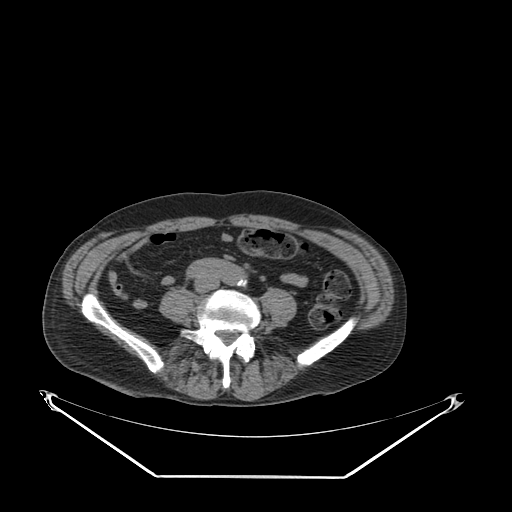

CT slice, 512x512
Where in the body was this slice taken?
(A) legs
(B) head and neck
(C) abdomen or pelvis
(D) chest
(C) abdomen or pelvis
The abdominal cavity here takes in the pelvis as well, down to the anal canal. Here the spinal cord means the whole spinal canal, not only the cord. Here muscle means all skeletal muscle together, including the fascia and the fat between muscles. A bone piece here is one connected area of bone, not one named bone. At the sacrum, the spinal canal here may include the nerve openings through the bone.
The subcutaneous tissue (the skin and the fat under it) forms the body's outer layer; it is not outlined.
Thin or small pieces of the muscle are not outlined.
The muscle appears in 3 outlined pieces: piece 1: 243 213; 339 227; 369 242; 384 258; 394 289; 392 309; 386 321; 377 327; 344 341; 358 322; 358 317; 353 315; 360 299; 360 287; 352 269; 341 258; 306 237; 287 229; 266 226; 228 223; 183 231; 148 232; 107 261; 97 283; 98 296; 107 311; 90 291; 82 295; 79 310; 81 314; 90 322; 105 328; 123 341; 144 364; 86 321; 64 301; 61 278; 65 263; 81 245; 100 233; 172 218; 206 216; 220 219; piece 2: 270 287; 289 292; 297 306; 295 315; 287 324; 274 328; 271 334; 294 346; 316 340; 295 357; 299 368; 316 362; 270 396; 254 401; 241 400; 227 393; 206 400; 179 395; 153 374; 159 373; 165 366; 159 352; 111 317; 153 342; 168 342; 179 335; 192 341; 210 360; 220 363; 221 386; 227 389; 231 383; 231 359; 235 355; 247 363; 255 355; 255 337; 251 332; 262 318; 255 300; piece 3: 172 288; 184 288; 200 298; 199 299; 200 301; 196 305; 196 314; 195 315; 196 316; 196 321; 198 324; 198 326; 196 328; 187 328; 182 324; 176 323; 169 318; 164 316; 158 310; 158 307; 162 296; 166 292; 169 290; 171 290. The spinal cord is outlined by 218 331; 229 331; 230 332; 233 332; 234 331; 236 331; 237 332; 238 332; 239 333; 239 334; 238 335; 238 336; 230 344; 229 344; 228 345; 227 345; 226 344; 225 344; 223 342; 223 340; 219 336; 218 336; 216 334; 216 333. The bones appear in 3 outlined pieces: piece 1: 218 289; 233 289; 248 295; 258 305; 261 314; 259 323; 250 332; 254 337; 254 355; 247 362; 235 354; 230 359; 230 383; 227 388; 222 386; 221 363; 217 359; 210 359; 199 345; 180 335; 184 328; 196 329; 199 326; 197 305; inner edge: 218 331; 229 331; 230 332; 233 332; 234 331; 236 331; 237 332; 238 332; 239 333; 239 334; 238 335; 238 336; 230 344; 229 344; 228 345; 227 345; 226 344; 225 344; 223 342; 223 340; 219 336; 218 336; 216 334; 216 333; piece 2: 87 292; 90 292; 97 297; 99 303; 110 317; 119 326; 132 335; 149 344; 158 352; 164 363; 163 368; 159 372; 157 373; 151 372; 144 362; 137 355; 136 352; 123 340; 111 333; 105 327; 90 321; 82 314; 79 304; 83 295; piece 3: 350 316; 356 316; 357 317; 357 322; 348 336; 341 343; 340 343; 331 351; 328 352; 325 355; 310 365; 303 366; 302 367; 299 367; 298 366; 296 362; 296 357; 299 353; 300 353; 306 348; 309 347; 320 338; 329 334; 338 328. The torso is outlined by 254 189; 291 193; 324 204; 371 235; 393 256; 405 280; 407 321; 402 348; 386 370; 373 378; 326 395; 264 406; 198 406; 126 394; 66 368; 54 357; 42 331; 43 300; 53 266; 77 235; 105 215; 151 197; 186 191; 224 194. The abdominal cavity is outlined by 228 224; 287 230; 341 259; 359 287; 353 314; 329 333; 294 345; 272 334; 297 313; 297 302; 285 289; 270 286; 254 300; 218 288; 201 300; 172 287; 157 310; 186 328; 177 336; 153 341; 121 324; 98 290; 113 256; 148 233.